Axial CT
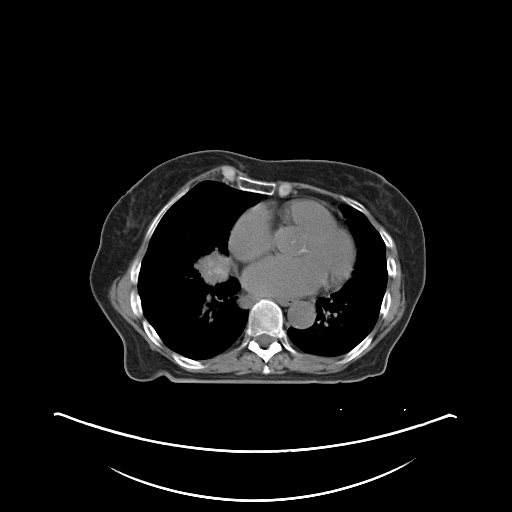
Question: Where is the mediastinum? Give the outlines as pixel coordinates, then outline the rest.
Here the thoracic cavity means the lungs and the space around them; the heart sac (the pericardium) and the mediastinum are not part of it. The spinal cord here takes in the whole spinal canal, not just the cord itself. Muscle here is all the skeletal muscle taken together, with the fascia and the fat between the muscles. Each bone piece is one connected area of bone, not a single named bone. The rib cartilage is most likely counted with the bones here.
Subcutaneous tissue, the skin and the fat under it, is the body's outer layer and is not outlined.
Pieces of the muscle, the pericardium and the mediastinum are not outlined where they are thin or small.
Answer: Outlined structures:
mediastinum 1: 229,257 236,268 236,277 239,280 241,286 250,294 293,299 315,298 333,292 315,300 316,315 311,326 305,329 291,326 286,330 283,326 282,309 273,300 261,298 249,309 240,306 237,297 240,289 240,283 235,277 229,274
mediastinum 2: 298,190 309,190 310,191 317,192 343,202 344,203 340,204 338,208 345,219 346,225 342,217 338,214 334,209 331,208 322,201 320,201 315,198 307,195 296,195 290,197 280,197 285,197 291,193 297,192
pericardium: 296,196 307,196 322,202 341,217 349,230 356,247 356,256 351,275 339,289 315,297 285,298 250,293 242,286 237,277 237,268 232,258 229,256 228,240 231,229 236,220 248,208 270,198 290,198
torso: 205,149 230,150 266,160 327,159 363,166 381,174 410,201 424,232 425,285 383,373 335,384 175,383 164,376 142,382 126,374 122,341 95,301 89,285 89,271 102,225 119,197 150,169 180,154
spinal cord: 262,334 266,334 267,335 268,335 269,336 270,336 272,338 272,341 266,347 263,347 262,346 261,346 258,343 258,342 256,340 256,338 258,336 259,336 260,335 261,335
bones 1: 261,299 271,300 281,309 283,316 283,329 285,330 291,345 299,353 298,355 294,355 285,348 276,352 266,363 270,370 267,374 262,372 265,362 255,352 246,347 241,349 237,348 243,338 247,326 249,310 with a hole at 262,334 266,334 267,335 268,335 269,336 270,336 272,338 272,341 266,347 263,347 262,346 261,346 258,343 258,342 256,340 256,338 258,336 259,336 260,335 261,335
bones 2: 222,166 229,166 233,168 238,175 249,177 256,180 271,181 277,184 282,182 288,182 292,185 293,189 289,194 285,196 280,196 276,194 268,195 261,194 258,192 242,190 237,188 234,183 226,182 222,179
bones 3: 187,187 190,187 190,188 181,197 180,197 179,199 178,199 162,216 158,222 156,227 154,229 150,238 148,240 145,239 144,237 150,223 154,217 162,208 162,207 168,201 169,201 173,197 174,197
bones 4: 371,331 373,332 373,337 372,338 372,340 371,342 366,348 365,348 357,356 356,356 351,360 345,363 343,363 342,364 337,364 336,363 336,361 341,359 347,352 351,350 356,345 357,345
bones 5: 173,352 175,352 184,357 186,357 190,359 193,359 194,360 199,360 204,364 207,365 207,366 204,368 199,368 198,369 196,368 185,368 184,367 182,367 178,364 177,364 173,360 172,358 172,356 171,355
bones 6: 144,318 145,318 148,321 148,322 152,326 152,327 154,329 154,330 160,337 160,338 162,341 162,344 161,345 161,346 157,346 149,338 149,337 145,332 145,331 143,328 143,326 142,325 142,320
bones 7: 134,289 135,290 137,290 137,292 138,293 138,295 140,299 140,302 141,303 141,307 142,308 142,311 143,312 143,315 139,317 137,316 133,312 132,310 132,308 131,307 131,304 130,303 130,293 131,291
bones 8: 386,289 388,289 389,290 390,296 391,297 391,302 390,303 390,306 389,307 389,309 387,312 386,316 384,318 382,318 380,316 379,316 379,311 381,307 381,303 382,302 382,300 383,299 383,297 384,296
bones 9: 340,195 343,195 344,196 349,197 354,200 356,200 358,202 359,202 361,204 362,204 368,211 368,212 369,213 368,214 368,215 367,216 361,211 354,208 352,206 351,206 350,205 345,203 343,201 340,200
bones 10: 136,258 140,258 141,259 141,265 140,266 140,268 139,269 139,273 138,274 138,279 137,280 137,284 133,284 131,282 131,280 130,279 130,271 131,270 131,266 132,265 132,264 133,263 134,260
bones 11: 387,256 391,256 394,259 394,261 395,262 395,267 396,268 396,274 395,275 395,276 394,277 389,277 388,276 388,274 387,273
bones 12: 380,228 383,228 391,236 391,237 392,238 392,241 393,242 393,246 391,248 388,248 387,247 386,247 386,246 385,245 385,243 384,242 384,241 382,239 382,238 381,237 381,236 378,231 378,230
thoracic cavity 1: 206,180 221,180 239,190 262,195 256,204 248,207 235,220 227,240 228,274 239,283 237,303 241,308 248,310 242,338 238,344 225,351 200,360 184,356 163,342 144,315 137,285 142,260 159,222 191,188
thoracic cavity 2: 343,204 365,215 383,241 386,256 386,288 378,316 371,330 351,349 344,354 334,356 306,353 292,345 286,331 291,327 299,330 311,327 316,321 316,300 339,290 351,277 355,267 357,247 346,219 339,208
muscle 1: 393,240 398,252 406,305 401,318 389,332 371,350 340,371 321,374 287,371 271,374 267,363 283,349 294,356 300,354 297,350 325,357 343,355 335,361 337,365 342,365 357,357 369,346 374,337 372,329 378,317 384,319 387,316 392,302 390,290 387,288 387,280 388,277 396,276 397,268 395,259 391,255 386,255 386,248 391,249 394,246
muscle 2: 143,238 148,241 145,253 142,259 133,260 129,271 130,282 137,289 129,293 130,307 137,317 144,316 141,325 148,338 157,347 163,343 173,351 171,358 179,366 152,350 112,306 107,295 113,281 129,266
muscle 3: 237,345 238,345 236,348 238,350 246,348 255,353 264,362 261,370 262,373 257,372 245,374 235,374 233,372 203,373 202,372 192,372 182,368 197,370 204,369 208,365 204,363 202,361 203,360 213,358
muscle 4: 219,165 230,165 231,166 233,166 241,170 248,176 238,174 236,172 235,169 229,165 222,165 220,168 221,179 206,179 205,180 202,180 196,183 192,187 190,186 185,187 173,196 189,179 213,167 215,167
muscle 5: 278,180 282,180 283,181 295,181 296,182 307,183 341,194 339,195 339,199 338,199 329,195 309,189 298,189 297,191 292,192 294,188 293,185 290,182 288,181 282,181 279,183 277,183 274,181 277,181
muscle 6: 369,211 376,218 376,219 385,228 385,229 383,227 380,227 378,229 377,229 372,224 372,223 370,221 370,220 368,218 368,216 369,215 369,214 370,213 369,212